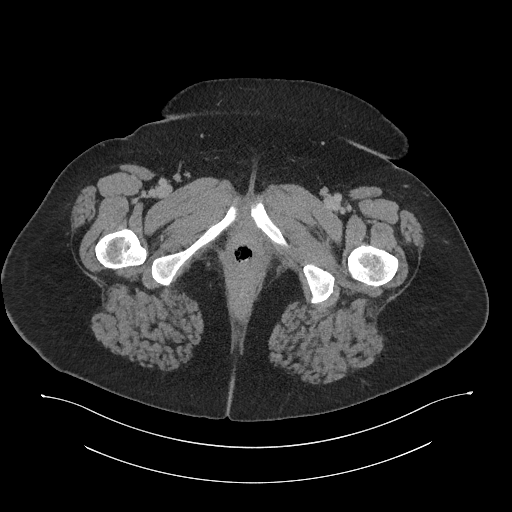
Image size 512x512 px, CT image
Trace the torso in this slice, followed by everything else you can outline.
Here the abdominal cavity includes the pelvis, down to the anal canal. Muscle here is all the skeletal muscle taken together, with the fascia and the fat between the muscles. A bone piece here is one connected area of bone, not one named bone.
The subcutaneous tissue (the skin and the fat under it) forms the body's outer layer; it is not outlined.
{"torso":[[[227,77],[331,85],[369,102],[404,133],[408,153],[392,162],[447,208],[487,289],[486,324],[466,349],[419,379],[345,408],[234,421],[120,396],[57,370],[23,340],[6,313],[1,272],[15,238],[60,172],[92,145],[159,119],[164,104],[185,87]]],"abdominal_cavity":[[[238,231],[252,231],[254,232],[260,239],[268,253],[267,261],[261,275],[260,285],[253,296],[251,302],[244,314],[237,314],[232,307],[230,301],[229,284],[228,283],[228,277],[225,262],[226,248],[228,247],[228,245],[232,239],[232,236]]],"muscle":[{"outer":[[122,163],[145,166],[179,186],[208,176],[228,179],[242,192],[293,183],[322,201],[361,185],[388,190],[420,222],[425,243],[414,278],[381,314],[385,349],[370,365],[326,384],[307,383],[275,367],[268,359],[267,339],[285,307],[303,295],[297,275],[286,269],[254,303],[243,352],[231,350],[223,279],[197,260],[179,279],[204,320],[189,361],[164,372],[110,352],[90,328],[100,290],[76,264],[68,233],[80,189]],"holes":[[[238,231],[252,231],[254,232],[260,239],[268,253],[267,261],[261,275],[260,285],[253,296],[251,302],[244,314],[237,314],[232,307],[230,301],[229,284],[228,283],[228,277],[225,262],[226,248],[228,247],[228,245],[232,239],[232,236]],[[362,244],[367,244],[368,245],[371,245],[386,250],[388,252],[393,254],[398,259],[398,268],[397,271],[394,276],[388,282],[379,286],[372,286],[371,285],[368,285],[358,280],[355,280],[350,276],[347,270],[347,257],[349,253],[354,248]],[[123,228],[128,228],[132,230],[136,234],[140,241],[141,245],[146,249],[147,252],[146,258],[144,262],[139,265],[127,266],[117,269],[107,268],[101,264],[97,259],[94,249],[95,248],[95,245],[97,241],[102,236],[108,233],[117,230],[120,230]],[[232,205],[235,206],[237,209],[237,217],[235,221],[224,229],[214,239],[202,246],[187,259],[179,268],[169,285],[167,286],[162,285],[158,283],[152,277],[151,265],[155,258],[162,255],[178,252],[187,248],[210,226],[219,221],[225,215],[229,207]],[[308,263],[312,263],[328,271],[331,273],[335,278],[334,285],[333,286],[333,291],[332,293],[327,298],[327,299],[318,303],[312,303],[310,301],[310,299],[311,298],[311,293],[310,292],[306,278],[302,270],[303,266],[305,264],[307,264]],[[259,201],[260,201],[263,204],[265,208],[265,210],[268,214],[269,217],[279,228],[282,235],[288,244],[288,247],[286,248],[277,243],[275,243],[272,241],[262,231],[261,229],[256,226],[254,221],[250,215],[250,207],[252,204],[256,203]]]}],"bones":[[[362,244],[367,244],[368,245],[371,245],[386,250],[388,252],[393,254],[398,259],[398,268],[397,271],[394,276],[388,282],[379,286],[372,286],[371,285],[368,285],[358,280],[355,280],[350,276],[347,270],[347,257],[349,253],[354,248]],[[123,228],[128,228],[132,230],[136,234],[140,241],[141,245],[146,249],[147,252],[146,258],[144,262],[139,265],[127,266],[117,269],[107,268],[101,264],[97,259],[94,249],[95,248],[95,245],[97,241],[102,236],[108,233],[117,230],[120,230]],[[232,205],[235,206],[237,209],[237,217],[235,221],[224,229],[214,239],[202,246],[187,259],[179,268],[169,285],[167,286],[162,285],[158,283],[152,277],[151,265],[155,258],[162,255],[178,252],[187,248],[210,226],[219,221],[225,215],[229,207]],[[308,263],[312,263],[328,271],[331,273],[335,278],[334,285],[333,286],[333,291],[332,293],[327,298],[327,299],[318,303],[312,303],[310,301],[310,299],[311,298],[311,293],[310,292],[306,278],[302,270],[303,266],[305,264],[307,264]],[[259,201],[260,201],[263,204],[265,208],[265,210],[268,214],[269,217],[279,228],[282,235],[288,244],[288,247],[286,248],[277,243],[275,243],[272,241],[262,231],[261,229],[256,226],[254,221],[250,215],[250,207],[252,204],[256,203]]]}